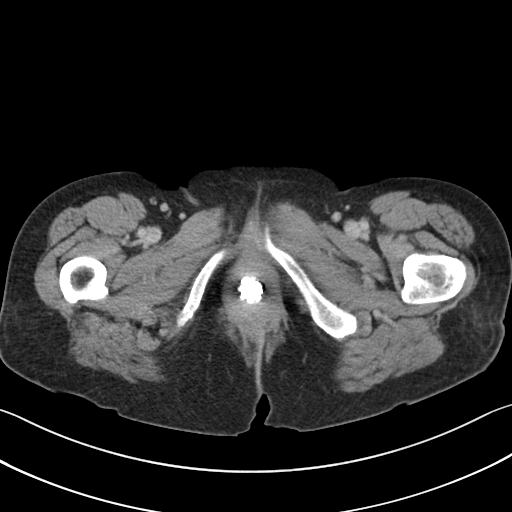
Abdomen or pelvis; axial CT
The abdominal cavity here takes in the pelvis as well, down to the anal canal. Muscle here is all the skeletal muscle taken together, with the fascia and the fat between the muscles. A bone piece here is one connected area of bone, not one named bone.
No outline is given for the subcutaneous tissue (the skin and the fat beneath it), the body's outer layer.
The abdominal cavity is outlined by [[252,253],[261,256],[269,265],[271,269],[273,270],[277,287],[277,299],[279,306],[279,320],[275,332],[267,341],[261,341],[255,343],[248,342],[244,333],[234,324],[228,314],[228,302],[230,298],[231,288],[236,277],[237,268],[241,263],[243,258]]. The torso is outlined by [[237,164],[311,166],[342,189],[431,177],[481,197],[511,250],[505,335],[493,362],[418,402],[311,431],[265,425],[262,395],[250,428],[236,436],[131,420],[9,369],[0,359],[7,265],[21,225],[43,198],[104,172],[138,171],[172,189],[197,170]]. The muscle is outlined by [[117,189],[135,193],[175,229],[195,212],[218,205],[241,225],[250,208],[263,212],[280,201],[319,219],[390,190],[424,191],[446,200],[471,224],[480,275],[461,305],[444,315],[446,347],[436,361],[366,391],[343,393],[327,382],[331,347],[290,297],[284,299],[288,339],[272,360],[247,364],[218,321],[229,262],[209,281],[200,317],[167,380],[132,384],[70,357],[65,325],[40,300],[33,278],[57,210],[87,193]], around holes outlined by [[252,253],[261,256],[269,265],[271,269],[273,270],[277,287],[277,299],[279,306],[279,320],[275,332],[267,341],[261,341],[255,343],[248,342],[244,333],[234,324],[228,314],[228,302],[230,298],[231,288],[236,277],[237,268],[241,263],[243,258]] and by [[414,252],[425,254],[439,253],[453,257],[457,257],[462,260],[466,265],[466,277],[464,283],[458,293],[453,297],[444,301],[423,303],[422,304],[405,303],[402,300],[400,295],[400,291],[404,283],[404,279],[402,274],[402,265],[404,259],[408,255]] and by [[266,227],[269,230],[270,237],[273,243],[292,256],[306,273],[315,287],[326,298],[344,310],[352,313],[356,317],[357,328],[353,334],[347,335],[340,339],[336,339],[326,333],[314,322],[310,315],[310,312],[304,298],[291,277],[263,247],[263,234]] and by [[81,255],[89,255],[92,256],[101,261],[105,265],[107,270],[107,275],[106,276],[105,284],[108,288],[108,294],[104,299],[101,300],[81,299],[72,304],[68,302],[64,298],[63,294],[60,289],[59,286],[59,271],[60,268],[65,262],[74,257]] and by [[222,249],[228,249],[233,251],[230,254],[229,257],[226,257],[223,259],[213,271],[206,284],[199,306],[195,311],[193,317],[191,319],[188,320],[184,325],[178,327],[176,324],[177,315],[184,305],[189,295],[190,289],[195,277],[209,258],[214,253]]. The bones appear in 4 outlined pieces: piece 1: [[414,252],[425,254],[439,253],[453,257],[457,257],[462,260],[466,265],[466,277],[464,283],[458,293],[453,297],[444,301],[423,303],[422,304],[405,303],[402,300],[400,295],[400,291],[404,283],[404,279],[402,274],[402,265],[404,259],[408,255]]; piece 2: [[266,227],[269,230],[270,237],[273,243],[292,256],[306,273],[315,287],[326,298],[344,310],[352,313],[356,317],[357,328],[353,334],[347,335],[340,339],[336,339],[326,333],[314,322],[310,315],[310,312],[304,298],[291,277],[263,247],[263,234]]; piece 3: [[81,255],[89,255],[92,256],[101,261],[105,265],[107,270],[107,275],[106,276],[105,284],[108,288],[108,294],[104,299],[101,300],[81,299],[72,304],[68,302],[64,298],[63,294],[60,289],[59,286],[59,271],[60,268],[65,262],[74,257]]; piece 4: [[222,249],[228,249],[233,251],[230,254],[229,257],[226,257],[223,259],[213,271],[206,284],[199,306],[195,311],[193,317],[191,319],[188,320],[184,325],[178,327],[176,324],[177,315],[184,305],[189,295],[190,289],[195,277],[209,258],[214,253]].